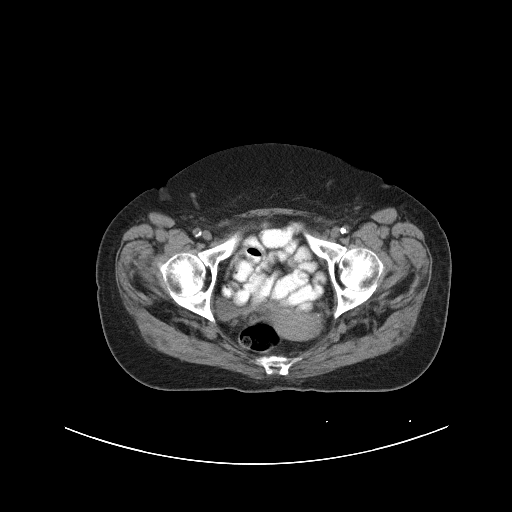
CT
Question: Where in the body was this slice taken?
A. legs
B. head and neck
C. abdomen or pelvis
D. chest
Answer: C. abdomen or pelvis
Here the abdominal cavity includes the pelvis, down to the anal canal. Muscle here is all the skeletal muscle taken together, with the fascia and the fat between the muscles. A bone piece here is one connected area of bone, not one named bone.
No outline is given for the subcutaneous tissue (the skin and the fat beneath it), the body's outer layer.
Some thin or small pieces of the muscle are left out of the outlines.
muscle: (396, 206) (423, 232) (432, 256) (430, 283) (413, 330) (401, 345) (384, 354) (323, 374) (294, 381) (281, 376) (256, 379) (162, 353) (144, 341) (116, 285) (115, 256) (122, 235) (151, 211) (215, 222) (250, 209) (283, 207) (330, 220) (346, 220) (367, 218) (379, 209), around a hole outlined by (274, 215) (301, 217) (312, 235) (349, 249) (368, 248) (384, 265) (374, 292) (333, 317) (328, 331) (300, 355) (302, 359) (286, 375) (266, 373) (251, 361) (257, 356) (242, 349) (216, 321) (176, 303) (158, 267) (176, 253) (196, 254) (222, 243) (243, 230) (246, 220)
torso: (264, 142) (297, 144) (329, 152) (402, 188) (419, 200) (438, 220) (446, 234) (451, 253) (447, 319) (434, 359) (411, 383) (388, 391) (171, 391) (140, 383) (112, 355) (101, 326) (95, 281) (97, 250) (109, 222) (135, 196) (146, 189) (161, 186) (195, 161) (230, 147)
abdominal cavity: (274, 215) (301, 217) (305, 228) (302, 234) (311, 251) (327, 269) (333, 290) (332, 319) (328, 331) (313, 346) (300, 355) (295, 356) (281, 354) (252, 355) (242, 349) (223, 331) (214, 315) (214, 288) (218, 272) (235, 251) (241, 239) (244, 223) (246, 220)
bones 1: (237, 231) (240, 231) (240, 239) (234, 251) (227, 258) (220, 261) (217, 267) (216, 280) (210, 297) (210, 309) (215, 319) (215, 322) (212, 322) (175, 302) (166, 290) (158, 263) (165, 262) (171, 256) (179, 252) (191, 252) (196, 254) (202, 250) (211, 248) (222, 243)
bones 2: (304, 231) (318, 238) (338, 243) (349, 249) (357, 246) (365, 247) (373, 251) (384, 265) (383, 273) (379, 278) (378, 285) (374, 292) (359, 305) (345, 311) (338, 317) (334, 318) (333, 313) (337, 306) (337, 296) (330, 279) (327, 262) (312, 251) (303, 234)
bones 3: (270, 355) (281, 355) (287, 357) (301, 356) (302, 359) (297, 362) (295, 362) (291, 365) (289, 367) (288, 369) (288, 373) (286, 375) (281, 375) (277, 373) (268, 374) (266, 373) (265, 369) (261, 365) (258, 365) (251, 361) (254, 360) (259, 356) (269, 356)